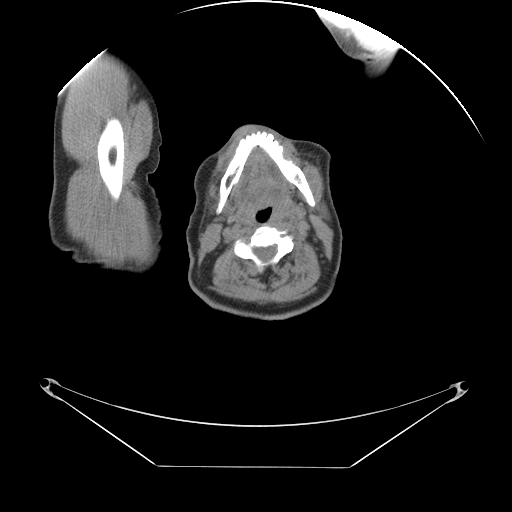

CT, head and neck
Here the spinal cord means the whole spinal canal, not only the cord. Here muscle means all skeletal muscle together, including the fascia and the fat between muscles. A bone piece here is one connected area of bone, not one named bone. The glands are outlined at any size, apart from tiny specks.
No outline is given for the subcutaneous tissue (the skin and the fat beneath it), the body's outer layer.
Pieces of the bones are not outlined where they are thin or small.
The muscle appears in 3 outlined pieces: piece 1: [[250,127],[261,127],[270,130],[279,136],[289,140],[296,147],[312,152],[319,157],[319,163],[321,166],[324,186],[323,197],[331,215],[332,227],[334,231],[333,251],[331,261],[321,280],[319,288],[315,293],[301,300],[283,304],[268,303],[263,305],[254,302],[246,302],[225,297],[208,290],[198,277],[197,233],[203,211],[206,184],[209,179],[211,171],[217,162],[219,155],[228,147],[235,136],[240,131]]; inner edges: [[257,131],[271,133],[283,147],[283,154],[301,169],[312,192],[315,201],[314,206],[307,203],[302,193],[294,184],[287,180],[271,157],[261,147],[255,146],[250,151],[239,179],[232,186],[221,212],[216,213],[220,181],[234,155],[236,147],[242,138]], then [[265,222],[270,226],[275,227],[279,230],[286,229],[288,233],[293,236],[294,245],[292,250],[284,255],[275,264],[266,266],[260,272],[252,260],[241,258],[237,256],[234,253],[233,246],[234,242],[238,238],[242,238],[245,241],[248,241],[255,229]], then [[269,208],[269,209],[270,210],[270,211],[269,212],[269,215],[267,217],[267,218],[265,220],[264,220],[263,221],[261,221],[259,219],[258,219],[258,218],[257,217],[257,215],[258,214],[258,213],[259,212],[261,212],[264,210],[266,210]], then [[321,205],[322,205],[323,205],[324,205],[325,206],[325,207],[326,208],[326,209],[326,210],[327,211],[326,212],[326,213],[325,213],[324,213],[323,213],[322,212],[321,211],[321,210],[320,209],[320,208],[320,207],[321,206]]; piece 2: [[103,50],[121,58],[131,69],[138,91],[147,100],[153,118],[153,139],[150,152],[148,157],[138,165],[135,174],[155,230],[155,252],[148,263],[141,265],[106,265],[88,255],[64,231],[63,212],[67,190],[66,156],[61,137],[64,94],[76,72]]; inner edge: [[110,118],[116,118],[119,120],[123,130],[123,142],[124,143],[123,145],[123,154],[124,155],[123,158],[123,183],[119,198],[116,201],[113,200],[110,196],[109,192],[101,178],[99,172],[99,164],[97,158],[97,144],[100,135],[107,122],[107,120]]; piece 3: [[327,11],[333,12],[334,13],[336,13],[340,15],[343,15],[344,16],[352,18],[355,20],[357,20],[381,32],[394,41],[397,42],[402,47],[400,48],[399,46],[394,49],[388,49],[387,50],[364,49],[357,45],[342,31],[339,25],[331,18]]. The bones appear in 3 outlined pieces: piece 1: [[257,131],[271,133],[283,147],[283,154],[301,169],[312,192],[315,201],[314,206],[307,203],[302,193],[294,184],[287,180],[271,157],[261,147],[255,146],[250,151],[239,179],[232,186],[221,212],[216,213],[220,181],[234,155],[236,147],[242,138]]; piece 2: [[110,118],[116,118],[119,120],[123,130],[123,142],[124,143],[123,145],[123,154],[124,155],[123,158],[123,183],[119,198],[116,201],[113,200],[110,196],[109,192],[101,178],[99,172],[99,164],[97,158],[97,144],[100,135],[107,122],[107,120]]; piece 3: [[265,222],[270,226],[275,227],[279,230],[286,229],[288,233],[293,236],[294,245],[292,250],[284,255],[275,264],[266,266],[260,272],[252,260],[241,258],[237,256],[234,253],[233,246],[234,242],[238,238],[242,238],[245,241],[248,241],[255,229]] with a hole at [[273,245],[275,245],[276,246],[276,251],[275,252],[275,253],[272,256],[272,257],[271,257],[269,259],[268,259],[267,260],[262,260],[261,259],[260,259],[254,253],[254,252],[253,251],[253,248],[254,248],[255,247],[268,247],[269,246],[272,246]]. The right arm is outlined by [[110,48],[133,64],[151,90],[157,105],[162,136],[160,161],[156,170],[148,175],[148,180],[162,208],[163,248],[153,271],[143,276],[100,271],[72,262],[67,251],[60,251],[52,245],[48,233],[56,99],[78,70],[101,51]]. The left arm is outlined by [[316,8],[324,9],[327,11],[357,20],[381,32],[397,42],[402,47],[399,49],[396,60],[391,65],[387,74],[383,79],[377,83],[373,84],[368,84],[363,81],[360,74],[361,68],[360,62],[348,57],[339,48],[327,28],[319,19],[316,12]]. The parotid glands are outlined by [[321,205],[322,205],[323,205],[324,205],[325,206],[325,207],[326,208],[326,209],[326,210],[327,211],[326,212],[326,213],[325,213],[324,213],[323,213],[322,212],[321,211],[321,210],[320,209],[320,208],[320,207],[321,206]]. The head and neck is outlined by [[246,123],[265,124],[293,138],[319,143],[331,154],[330,189],[343,235],[336,282],[330,295],[321,304],[284,320],[246,318],[215,310],[202,301],[190,288],[187,280],[189,257],[185,230],[195,202],[193,182],[196,170],[208,155],[224,144],[236,128]], around a hole outlined by [[269,208],[269,209],[270,210],[270,211],[269,212],[269,215],[267,217],[267,218],[265,220],[264,220],[263,221],[261,221],[259,219],[258,219],[258,218],[257,217],[257,215],[258,214],[258,213],[259,212],[261,212],[264,210],[266,210]]. The spinal cord is outlined by [[273,245],[275,245],[276,246],[276,251],[275,252],[275,253],[272,256],[272,257],[271,257],[269,259],[268,259],[267,260],[262,260],[261,259],[260,259],[254,253],[254,252],[253,251],[253,248],[254,248],[255,247],[268,247],[269,246],[272,246]].